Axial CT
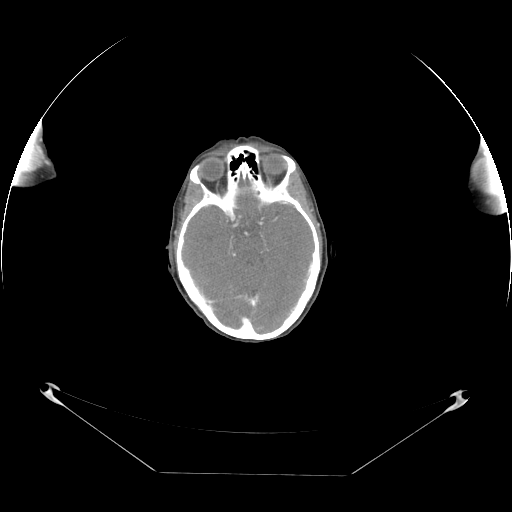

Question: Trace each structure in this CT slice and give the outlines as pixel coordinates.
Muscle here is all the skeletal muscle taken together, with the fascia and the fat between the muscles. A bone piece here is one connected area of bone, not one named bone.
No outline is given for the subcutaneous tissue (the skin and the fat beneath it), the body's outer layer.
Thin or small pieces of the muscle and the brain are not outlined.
Answer: The head is outlined by (250, 135) (262, 137) (282, 146) (295, 158) (313, 190) (327, 238) (334, 239) (336, 246) (336, 256) (328, 262) (319, 295) (303, 321) (285, 337) (262, 343) (232, 341) (209, 329) (187, 305) (177, 290) (167, 270) (165, 249) (171, 224) (172, 205) (192, 160) (222, 138), around holes outlined by (251, 154) (252, 154) (253, 155) (253, 160) (254, 161) (254, 162) (255, 163) (255, 165) (256, 166) (256, 168) (255, 169) (254, 169) (254, 168) (250, 164) (250, 163) (246, 159) and by (240, 157) (242, 157) (242, 159) (239, 162) (239, 163) (237, 165) (237, 166) (235, 168) (232, 168) (231, 167) (231, 163) (234, 160) (237, 160). The muscle appears in 4 outlined pieces: piece 1: (485, 141) (490, 149) (490, 151) (496, 167) (496, 170) (499, 176) (499, 179) (501, 182) (501, 184) (503, 186) (503, 192) (505, 194) (505, 199) (491, 199) (489, 198) (481, 191) (481, 189) (476, 180) (477, 167) (486, 143); piece 2: (33, 128) (36, 128) (40, 136) (40, 142) (41, 143) (41, 145) (43, 148) (43, 151) (44, 152) (44, 167) (42, 168) (39, 168) (38, 170) (36, 170) (35, 171) (28, 171) (27, 172) (21, 173) (20, 174) (14, 175) (13, 176) (17, 162) (29, 138) (29, 136); piece 3: (296, 168) (298, 169) (303, 183) (305, 185) (305, 187) (311, 198) (316, 219) (319, 223) (319, 226) (322, 235) (322, 242) (323, 243) (321, 268) (320, 244) (319, 243) (316, 228) (309, 215) (305, 211) (299, 200) (292, 195) (289, 190) (290, 178) (291, 175) (296, 170); piece 4: (188, 180) (190, 182) (197, 185) (200, 188) (201, 190) (201, 196) (192, 206) (189, 212) (181, 223) (175, 248) (175, 267) (176, 271) (174, 267) (172, 242) (174, 237) (174, 230) (177, 221) (177, 213) (178, 212) (178, 206) (180, 198) (186, 189). The brain is outlined by (246, 194) (257, 200) (259, 209) (273, 203) (291, 205) (306, 222) (313, 244) (295, 303) (277, 326) (264, 331) (257, 330) (246, 316) (238, 326) (223, 322) (212, 300) (195, 283) (182, 254) (188, 225) (201, 209) (219, 208) (235, 228) (242, 216) (236, 213) (239, 200). The bones are outlined by (247, 143) (267, 149) (260, 153) (259, 160) (261, 177) (267, 184) (277, 184) (286, 172) (279, 154) (294, 160) (296, 167) (290, 175) (288, 190) (311, 220) (319, 244) (320, 270) (311, 297) (299, 317) (279, 335) (269, 339) (239, 338) (218, 329) (190, 299) (178, 277) (176, 267) (176, 248) (182, 223) (202, 196) (201, 188) (189, 179) (191, 169) (205, 160) (199, 170) (199, 177) (210, 190) (222, 194) (227, 185) (227, 165) (220, 152) (234, 145); inner edges: (246, 194) (257, 200) (259, 209) (273, 203) (291, 205) (306, 222) (313, 244) (295, 303) (277, 326) (264, 331) (257, 330) (246, 316) (238, 326) (223, 322) (212, 300) (195, 283) (182, 254) (188, 225) (201, 209) (219, 208) (235, 228) (242, 216) (236, 213) (239, 200), then (251, 154) (252, 154) (253, 155) (253, 160) (254, 161) (254, 162) (255, 163) (255, 165) (256, 166) (256, 168) (255, 169) (254, 169) (254, 168) (250, 164) (250, 163) (246, 159), then (240, 157) (242, 157) (242, 159) (239, 162) (239, 163) (237, 165) (237, 166) (235, 168) (232, 168) (231, 167) (231, 163) (234, 160) (237, 160). The left arm is outlined by (479, 131) (490, 149) (496, 167) (496, 170) (499, 176) (499, 179) (503, 186) (503, 192) (505, 194) (505, 200) (509, 207) (509, 210) (507, 214) (504, 215) (489, 215) (480, 210) (480, 208) (471, 193) (470, 185) (469, 184) (469, 171) (473, 159) (479, 147). The right arm is outlined by (40, 118) (41, 118) (41, 125) (42, 126) (46, 150) (54, 168) (55, 176) (51, 179) (48, 179) (36, 185) (32, 185) (27, 187) (16, 187) (10, 185) (9, 184) (20, 155) (29, 138) (29, 136) (33, 128) (35, 127) (38, 120).